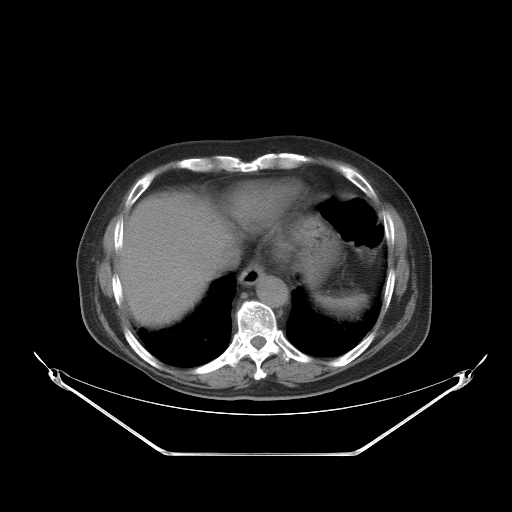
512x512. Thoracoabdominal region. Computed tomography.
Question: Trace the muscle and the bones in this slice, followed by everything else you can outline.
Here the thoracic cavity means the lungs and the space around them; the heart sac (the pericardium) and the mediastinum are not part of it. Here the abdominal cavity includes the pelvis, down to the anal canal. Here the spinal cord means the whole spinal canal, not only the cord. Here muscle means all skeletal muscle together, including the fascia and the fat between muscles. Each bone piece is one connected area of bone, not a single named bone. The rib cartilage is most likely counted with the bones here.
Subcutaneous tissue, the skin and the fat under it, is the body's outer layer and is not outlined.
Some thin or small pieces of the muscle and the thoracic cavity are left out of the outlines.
Answer: {"muscle":[[[364,176],[401,217],[407,236],[407,257],[412,245],[417,297],[409,322],[372,356],[330,376],[296,386],[261,379],[267,376],[261,365],[271,355],[279,355],[284,362],[292,359],[301,363],[311,362],[312,357],[333,357],[325,363],[341,367],[374,340],[376,332],[370,331],[381,308],[388,309],[394,291],[396,274],[393,268],[388,269],[388,246],[394,245],[395,227],[389,211],[383,209],[381,215],[370,199],[377,195]],[[144,173],[134,183],[134,184],[126,197],[124,206],[129,209],[125,217],[124,218],[120,215],[113,228],[114,250],[116,253],[119,251],[119,270],[118,274],[115,272],[111,276],[111,288],[116,305],[119,308],[122,304],[123,305],[123,309],[133,330],[133,333],[125,326],[122,329],[123,336],[132,350],[141,359],[162,371],[168,370],[160,363],[160,361],[166,365],[178,368],[192,368],[190,370],[191,374],[206,374],[226,365],[234,368],[241,359],[247,356],[255,365],[253,378],[256,380],[247,387],[238,388],[236,390],[233,389],[233,386],[217,389],[197,387],[157,375],[122,351],[108,336],[98,317],[95,301],[95,271],[101,250],[102,239],[106,227],[115,214],[124,194],[131,185]],[[306,155],[309,155],[310,156],[321,156],[325,158],[330,158],[331,159],[344,161],[356,167],[363,175],[352,167],[344,164],[338,164],[336,166],[336,168],[342,175],[323,165],[310,164],[309,163],[308,164],[303,164],[308,163],[312,160],[308,155]],[[173,160],[178,160],[177,160],[173,164],[173,166],[175,168],[177,169],[183,169],[176,169],[175,170],[168,171],[165,173],[163,173],[154,179],[157,174],[157,172],[155,170],[150,170],[157,166],[159,166],[162,164],[164,164],[167,162],[169,162]]],"bones":[{"outer":[[246,300],[269,306],[287,340],[312,360],[301,362],[291,358],[284,361],[279,354],[271,354],[260,365],[266,376],[258,380],[254,378],[256,365],[247,355],[234,367],[226,364],[206,373],[191,373],[193,368],[211,361],[227,348],[237,330],[235,313]],"hole":[[257,336],[259,336],[260,337],[262,337],[263,338],[264,338],[265,339],[265,343],[261,347],[260,347],[259,348],[257,348],[256,347],[255,347],[251,343],[251,339],[252,339],[254,337],[256,337]]},[[279,152],[303,154],[311,159],[308,162],[292,168],[275,167],[260,169],[256,171],[241,172],[227,171],[224,169],[193,171],[189,169],[177,168],[174,166],[177,161],[191,157],[212,158],[216,155],[230,155],[237,157],[243,161],[250,161],[266,153]],[[373,331],[375,332],[375,336],[371,343],[358,356],[357,356],[354,359],[353,359],[345,365],[342,365],[341,366],[330,366],[326,363],[326,362],[330,360],[332,360],[346,353],[348,351],[352,349],[356,345],[357,345],[370,332],[372,332]],[[125,327],[129,329],[132,332],[138,341],[154,357],[155,357],[159,361],[159,363],[165,369],[167,370],[162,370],[161,369],[156,368],[141,358],[133,350],[133,349],[127,342],[124,336],[124,334],[123,333],[123,329]],[[338,165],[344,165],[345,166],[350,167],[358,172],[362,176],[363,176],[363,177],[372,187],[376,195],[376,197],[375,198],[374,197],[369,197],[357,186],[356,186],[353,183],[352,183],[349,180],[344,177],[341,172],[337,168],[337,166]],[[150,171],[155,171],[156,172],[156,174],[152,180],[151,183],[149,186],[139,196],[139,197],[137,198],[137,199],[132,204],[132,205],[129,208],[127,208],[125,206],[125,202],[127,199],[127,197],[131,189],[135,183],[140,178],[141,178],[146,173]],[[389,269],[393,269],[394,270],[394,273],[395,274],[395,280],[394,281],[394,285],[393,286],[393,291],[392,292],[391,299],[387,309],[385,310],[382,306],[382,302],[383,301],[383,296],[384,295],[384,290],[385,289],[386,278],[387,277],[387,274]],[[383,210],[386,210],[388,211],[393,221],[393,226],[394,227],[394,242],[392,246],[390,246],[388,245],[386,241],[386,238],[385,237],[385,233],[384,232],[384,223],[382,219],[383,218],[382,216],[382,211]],[[120,216],[122,216],[123,217],[123,237],[122,238],[122,245],[121,246],[121,248],[118,251],[118,252],[116,252],[116,251],[115,250],[115,247],[114,246],[114,228],[115,227],[115,224],[116,223],[116,222],[117,221],[117,220],[118,219],[118,218]],[[115,273],[118,275],[119,279],[120,280],[120,283],[121,284],[121,290],[122,291],[122,300],[121,301],[121,306],[120,307],[119,307],[116,303],[116,301],[114,297],[114,294],[113,293],[113,289],[112,288],[112,281],[111,280],[112,279],[112,276]]],"torso":[[[277,134],[308,135],[348,147],[382,167],[406,191],[422,222],[432,256],[432,313],[427,337],[406,360],[319,395],[281,400],[224,400],[171,389],[107,351],[87,331],[80,312],[76,274],[76,253],[84,228],[111,181],[129,163],[154,148],[187,140]]],"thoracic_cavity":[[[231,273],[234,274],[236,279],[235,290],[231,300],[231,315],[235,316],[236,330],[232,334],[226,348],[216,357],[194,367],[178,367],[166,364],[154,356],[134,334],[134,331],[139,329],[151,333],[179,324],[202,303],[208,295],[212,284],[216,280]],[[297,288],[301,288],[305,296],[305,300],[314,312],[339,324],[352,324],[360,322],[370,311],[378,296],[381,301],[381,307],[371,329],[352,348],[336,357],[311,356],[292,344],[286,337],[284,331],[280,328],[283,329],[286,325],[292,308],[293,292]]],"abdominal_cavity":[[[187,183],[203,183],[218,205],[234,221],[249,241],[246,243],[242,259],[234,273],[231,272],[216,279],[201,303],[179,323],[151,332],[143,328],[134,330],[122,303],[123,291],[119,276],[119,256],[123,245],[124,219],[133,204],[151,184],[156,187]],[[326,184],[348,190],[357,190],[358,188],[365,194],[380,213],[387,244],[387,273],[382,301],[378,295],[363,318],[352,323],[339,323],[314,311],[306,300],[302,288],[292,288],[285,268],[260,244],[282,223],[282,219],[288,211],[317,199],[322,194]]],"mediastinum":[[[248,242],[258,243],[272,258],[284,268],[288,276],[290,285],[293,291],[291,308],[283,328],[278,325],[276,315],[272,308],[269,305],[259,300],[255,299],[244,300],[237,308],[234,314],[232,315],[232,300],[235,294],[237,282],[235,271],[243,259]],[[176,170],[189,170],[193,172],[210,172],[214,170],[215,171],[224,170],[227,172],[240,172],[239,173],[231,173],[216,177],[212,177],[206,179],[204,182],[187,182],[179,184],[162,184],[161,185],[153,186],[152,182],[158,177],[168,172]],[[309,164],[310,165],[323,166],[334,171],[357,187],[357,189],[348,189],[347,187],[342,187],[339,185],[326,183],[315,174],[303,173],[302,172],[292,172],[291,171],[257,171],[275,168],[277,169],[292,169],[297,168],[302,165],[308,165]]],"pericardium":[[[247,172],[291,172],[309,174],[317,176],[320,180],[325,183],[325,185],[321,190],[321,194],[317,198],[288,210],[281,219],[281,223],[266,238],[259,243],[255,241],[250,241],[246,238],[248,237],[245,233],[219,205],[204,185],[206,180],[212,178]]],"spinal_cord":[[[257,336],[259,336],[260,337],[262,337],[263,338],[264,338],[265,339],[265,343],[261,347],[260,347],[259,348],[257,348],[256,347],[255,347],[251,343],[251,339],[252,339],[254,337],[256,337]]]}